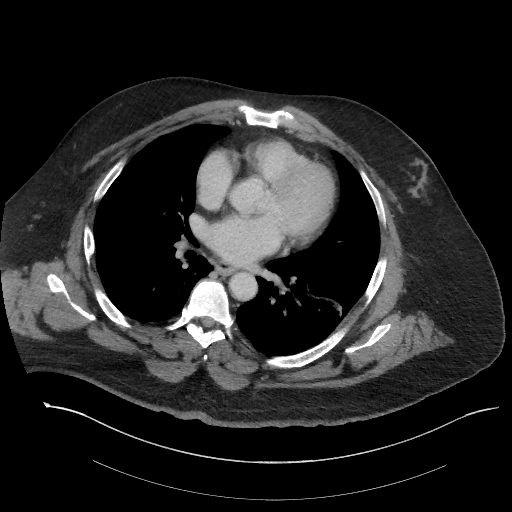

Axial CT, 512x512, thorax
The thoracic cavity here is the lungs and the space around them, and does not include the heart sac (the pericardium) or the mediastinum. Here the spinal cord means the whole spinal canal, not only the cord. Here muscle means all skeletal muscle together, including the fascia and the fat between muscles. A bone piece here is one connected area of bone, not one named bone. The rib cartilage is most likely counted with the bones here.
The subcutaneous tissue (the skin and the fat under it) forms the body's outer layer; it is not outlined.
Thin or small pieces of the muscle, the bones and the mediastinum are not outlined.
{"mediastinum":[[[198,240],[213,256],[232,266],[244,266],[267,262],[265,265],[265,274],[258,275],[256,277],[258,291],[255,297],[242,303],[234,312],[231,311],[229,296],[223,283],[216,279],[206,277],[201,278],[206,276],[213,269],[213,267],[202,254],[198,253]],[[216,120],[236,123],[243,121],[249,126],[272,129],[281,127],[290,132],[297,131],[312,140],[335,148],[343,155],[333,152],[335,166],[319,151],[285,137],[269,132],[242,131],[215,145],[207,152],[215,141],[226,136],[231,130],[225,125],[202,122]]],"thoracic_cavity":[[[194,123],[221,125],[230,130],[209,146],[198,166],[194,208],[190,215],[191,229],[198,241],[197,253],[206,259],[212,269],[194,284],[176,318],[166,324],[142,322],[125,315],[104,291],[96,266],[93,232],[96,211],[102,198],[135,154],[156,138]],[[334,152],[344,156],[357,170],[371,198],[379,222],[379,255],[362,295],[334,331],[299,352],[268,356],[256,349],[241,332],[231,312],[234,313],[242,304],[256,297],[259,291],[257,277],[266,274],[268,262],[309,248],[325,232],[340,201],[340,181]]],"bones":[{"outer":[[204,278],[222,283],[228,296],[230,312],[234,317],[234,323],[231,328],[232,338],[226,336],[224,339],[211,343],[206,348],[201,347],[187,331],[185,325],[172,330],[165,328],[167,324],[173,322],[180,315],[183,307],[188,302],[193,287],[200,279]],"hole":[[204,316],[207,316],[208,317],[210,317],[217,324],[217,326],[215,328],[212,328],[211,329],[207,329],[206,330],[201,325],[200,325],[199,324],[198,324],[197,323],[197,322],[198,321],[198,319],[199,318],[200,318],[201,317],[203,317]]},[[241,104],[245,104],[269,112],[278,109],[286,110],[293,114],[301,122],[310,126],[313,129],[313,132],[305,133],[297,130],[290,131],[289,129],[281,126],[272,128],[262,125],[249,125],[243,120],[240,122],[236,122],[233,113],[236,110],[237,106]],[[349,323],[351,323],[349,329],[345,335],[335,346],[322,356],[303,366],[300,367],[292,367],[291,368],[279,368],[278,367],[270,366],[268,365],[265,361],[267,358],[273,356],[296,354],[309,348],[311,348],[315,345],[320,343],[340,327]],[[95,286],[99,287],[106,294],[106,295],[111,301],[111,302],[125,316],[126,316],[126,319],[127,321],[131,325],[131,327],[127,328],[126,327],[122,327],[119,325],[117,325],[104,313],[104,312],[100,307],[95,297],[95,295],[94,294],[94,287]],[[380,255],[383,255],[387,258],[385,272],[384,273],[383,278],[381,281],[381,283],[374,296],[370,302],[367,305],[365,305],[366,298],[363,295],[363,294],[369,283],[369,281],[372,276],[373,271],[375,268],[375,266],[377,263],[377,261]],[[360,168],[363,169],[365,171],[368,177],[378,189],[380,193],[384,205],[384,208],[386,212],[386,223],[384,226],[380,223],[378,219],[378,216],[372,198],[369,192],[367,190],[363,182],[363,180],[358,171],[358,169]],[[50,273],[55,274],[63,282],[65,286],[65,288],[70,296],[70,298],[75,303],[80,306],[84,310],[94,314],[96,317],[96,319],[95,320],[89,320],[74,309],[70,305],[65,295],[62,292],[52,292],[50,290],[50,288],[47,282],[47,275]],[[121,158],[126,158],[126,162],[122,170],[120,172],[118,176],[112,182],[112,183],[110,185],[104,195],[101,198],[101,199],[99,201],[93,201],[93,196],[94,195],[94,193],[96,189],[98,187],[99,184],[101,182],[107,172],[110,169],[110,168]],[[387,323],[389,323],[391,325],[389,329],[376,342],[369,346],[358,349],[351,353],[349,353],[348,354],[347,353],[345,353],[344,350],[348,346],[350,346],[354,344],[355,345],[357,345],[358,344],[363,343],[369,337],[377,325],[379,324],[386,324]],[[86,224],[87,224],[92,229],[92,232],[93,233],[93,237],[94,238],[94,245],[95,246],[94,253],[90,257],[90,263],[89,264],[87,264],[86,262],[86,259],[84,255],[84,248],[83,247],[83,235],[84,234],[84,227]]],"pericardium":[[[242,132],[273,134],[319,152],[336,168],[339,182],[339,194],[335,211],[327,227],[323,233],[305,249],[294,251],[286,256],[276,257],[268,261],[244,265],[232,265],[213,255],[198,239],[192,227],[191,216],[196,210],[196,177],[203,158],[212,148]]],"muscle":[{"outer":[[222,98],[247,99],[255,106],[264,109],[274,109],[284,104],[294,105],[313,114],[355,147],[398,194],[405,207],[399,223],[398,233],[406,255],[406,264],[403,285],[396,307],[404,315],[409,313],[415,314],[418,311],[424,312],[440,330],[454,339],[452,344],[432,351],[422,352],[377,377],[346,387],[269,387],[267,389],[242,388],[231,391],[222,389],[217,385],[202,366],[183,380],[172,383],[151,375],[146,366],[137,359],[118,359],[91,350],[33,339],[11,330],[4,302],[0,269],[7,267],[29,268],[36,261],[47,262],[63,256],[70,227],[82,203],[84,191],[94,182],[99,170],[95,167],[87,171],[80,171],[81,164],[98,151],[164,116],[190,105]],"holes":[[[241,104],[283,109],[310,126],[312,133],[298,133],[363,169],[386,212],[379,254],[387,262],[377,291],[344,317],[337,328],[351,324],[335,346],[300,367],[268,365],[270,357],[235,323],[232,338],[206,348],[185,325],[167,330],[127,315],[131,327],[117,325],[94,294],[95,286],[104,290],[96,256],[87,264],[84,255],[84,227],[93,228],[100,202],[94,193],[118,160],[127,163],[189,124],[235,122]],[[50,273],[55,274],[63,282],[65,286],[65,288],[70,296],[70,298],[75,303],[80,306],[84,310],[94,314],[96,317],[96,319],[95,320],[89,320],[74,309],[70,305],[65,295],[62,292],[52,292],[50,290],[50,288],[47,282],[47,275]],[[387,323],[389,323],[391,325],[389,329],[376,342],[369,346],[358,349],[351,353],[349,353],[348,354],[347,353],[345,353],[344,350],[348,346],[350,346],[354,344],[355,345],[357,345],[358,344],[363,343],[369,337],[377,325],[379,324],[386,324]]]}],"torso":[[[178,75],[261,91],[350,98],[380,112],[412,137],[438,168],[495,271],[505,316],[499,356],[470,378],[401,410],[364,421],[315,427],[212,426],[197,418],[183,420],[152,411],[75,377],[28,373],[8,321],[0,272],[6,201],[95,104],[134,84]]],"spinal_cord":[[[204,316],[207,316],[208,317],[210,317],[217,324],[217,326],[215,328],[212,328],[211,329],[207,329],[206,330],[201,325],[200,325],[199,324],[198,324],[197,323],[197,322],[198,321],[198,319],[199,318],[200,318],[201,317],[203,317]]]}